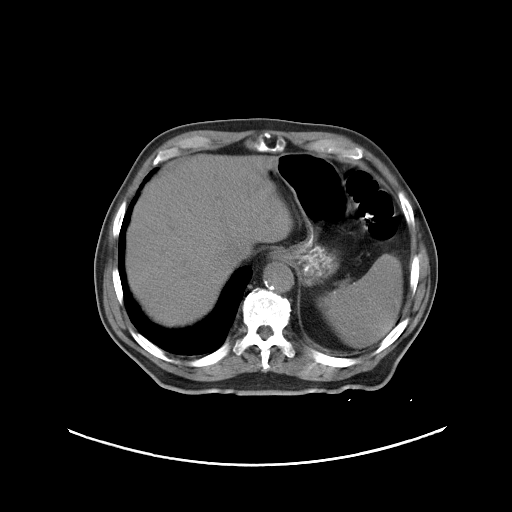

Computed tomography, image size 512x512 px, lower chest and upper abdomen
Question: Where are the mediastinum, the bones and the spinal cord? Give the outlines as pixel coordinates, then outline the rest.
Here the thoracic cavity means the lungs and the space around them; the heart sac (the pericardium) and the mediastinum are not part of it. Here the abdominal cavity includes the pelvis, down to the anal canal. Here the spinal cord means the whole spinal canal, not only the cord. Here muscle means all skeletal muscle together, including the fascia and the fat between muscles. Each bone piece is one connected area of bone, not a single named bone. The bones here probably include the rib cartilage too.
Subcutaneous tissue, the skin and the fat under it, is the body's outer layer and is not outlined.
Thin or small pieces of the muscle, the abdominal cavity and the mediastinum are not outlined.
Answer: The mediastinum appears in 2 outlined pieces: piece 1: 264,251 274,252 287,261 295,270 296,316 298,331 296,324 291,317 292,307 290,301 286,297 274,291 272,287 266,288 256,286 249,291 244,297 244,291 252,276 253,271 252,267 249,264 242,266 257,254; piece 2: 358,160 362,162 363,161 364,162 365,161 371,164 371,165 373,166 373,167 375,168 376,170 377,170 377,171 381,175 383,179 378,174 377,172 373,170 369,166 364,164 362,162. The bones appear in 11 outlined pieces: piece 1: 256,287 272,288 289,301 290,319 283,333 294,356 288,357 273,345 269,368 264,371 260,349 253,344 239,355 230,350 213,364 190,366 190,360 213,352 228,337 232,345 244,334 240,330 245,328 240,305, around a hole outlined by 261,326 268,326 269,327 270,327 270,328 271,329 271,330 272,331 272,334 271,335 270,335 267,338 266,338 265,339 263,339 260,336 260,335 258,333 258,329 259,328 259,327 260,327; piece 2: 320,139 334,139 335,140 337,140 341,142 342,145 346,148 359,147 362,150 363,156 359,159 342,158 337,154 334,154 333,153 328,153 325,151 317,151 313,149 309,149 307,148 307,147 311,142 313,142; piece 3: 196,135 207,137 210,139 210,143 206,147 181,149 179,154 173,157 170,157 168,159 166,159 160,162 157,165 153,166 152,164 153,160 160,150 167,149 170,147 175,146 179,140 184,138 195,136; piece 4: 306,347 310,347 311,348 313,348 322,353 324,353 331,356 335,356 336,357 354,357 358,360 358,362 355,364 353,364 349,366 346,366 345,367 333,367 329,365 324,365 323,364 315,362 314,360 308,355; piece 5: 129,329 132,329 134,331 137,331 140,333 153,344 163,350 165,354 168,357 172,359 174,359 178,361 178,362 177,363 174,363 173,362 169,362 168,361 166,361 153,355 147,351 133,338 129,331; piece 6: 406,317 408,317 409,318 408,323 403,330 403,331 399,335 399,336 391,344 390,344 387,347 383,349 380,352 376,354 372,354 373,351 379,345 380,342 392,330 392,329 398,323 398,322 400,320; piece 7: 265,131 268,132 271,136 270,138 265,138 264,139 266,144 270,147 272,147 275,144 275,140 276,138 279,136 282,137 285,140 285,145 281,151 271,152 270,151 258,151 256,150 256,147 255,146 256,139; piece 8: 399,191 401,191 404,194 404,195 407,198 407,199 409,201 411,205 411,207 414,213 414,226 408,225 408,224 406,222 406,220 405,219 404,214 402,211 402,209 400,205 400,202 398,198 398,192; piece 9: 416,254 417,254 419,256 419,276 418,277 418,281 417,282 416,289 415,290 415,292 413,294 411,291 411,289 410,288 410,285 409,284 409,280 410,279 410,265 411,264 411,261 412,260 412,258 413,256; piece 10: 123,200 125,200 126,201 126,209 125,210 125,212 123,216 123,219 122,220 122,222 121,223 121,226 119,230 119,234 118,235 118,237 115,238 113,236 113,221 114,220 115,215; piece 11: 115,266 117,266 117,269 118,270 118,273 119,274 119,278 120,279 120,282 121,283 121,288 122,289 122,292 123,293 123,304 122,305 119,303 119,301 117,298 117,296 115,292 115,289 113,285 112,270. The spinal cord is outlined by 261,326 268,326 269,327 270,327 270,328 271,329 271,330 272,331 272,334 271,335 270,335 267,338 266,338 265,339 263,339 260,336 260,335 258,333 258,329 259,328 259,327 260,327. The abdominal cavity is outlined by 286,140 369,167 397,196 408,226 409,291 401,319 377,346 358,355 322,352 300,335 296,270 274,251 264,250 245,262 213,309 182,328 151,321 128,287 126,229 154,167 181,152 240,141 258,152 281,152. The muscle appears in 2 outlined pieces: piece 1: 192,130 215,130 216,131 230,131 231,132 241,132 248,130 256,130 257,131 261,130 275,130 276,131 294,131 295,132 301,132 302,131 323,131 324,132 331,132 332,133 341,134 348,137 354,142 369,150 374,155 378,157 388,167 391,172 393,173 400,185 406,192 412,203 413,207 417,211 417,219 419,222 420,230 422,233 422,239 424,242 427,255 429,259 430,287 429,288 429,295 427,303 425,306 423,313 415,327 409,334 372,369 357,373 343,379 333,380 332,381 307,380 299,378 296,376 287,375 283,373 276,373 270,371 267,372 262,372 261,371 245,372 237,374 233,377 221,380 216,380 215,381 198,381 197,380 189,379 164,370 144,355 128,345 116,334 108,321 103,305 103,273 105,268 105,251 107,246 107,236 108,235 109,224 116,209 118,202 126,191 135,174 148,156 155,149 168,139 181,133, around a hole outlined by 265,131 271,136 264,139 270,147 279,136 301,148 320,139 359,147 363,154 359,160 371,164 396,196 401,191 407,198 414,213 414,226 408,226 410,260 419,256 416,289 413,294 409,289 401,316 408,317 408,323 380,352 372,354 374,347 354,355 358,362 345,367 315,362 306,349 312,346 291,317 283,333 295,354 288,357 278,346 271,346 265,371 254,344 239,355 230,350 205,366 188,364 199,355 165,351 178,362 161,359 133,338 129,329 137,330 115,292 115,215 123,200 128,205 160,150 196,135 210,139 199,149 244,141 255,150 256,139; piece 2: 236,321 237,322 240,322 241,321 242,324 244,326 244,328 243,329 242,328 240,328 239,329 240,331 242,332 243,331 243,334 239,337 236,337 234,339 232,344 231,344 231,341 229,338 229,335. The thoracic cavity is outlined by 153,168 156,170 143,184 133,205 124,236 127,287 144,315 166,329 192,326 214,309 232,275 244,266 251,267 239,305 241,320 235,321 219,347 200,356 170,353 153,343 136,329 124,305 118,238 127,206. The torso is outlined by 230,118 278,118 332,124 358,131 388,155 418,200 437,251 437,287 423,326 399,360 389,381 382,387 305,395 185,394 156,383 115,343 102,324 94,289 94,255 108,207 135,158 153,137 169,128 191,122.